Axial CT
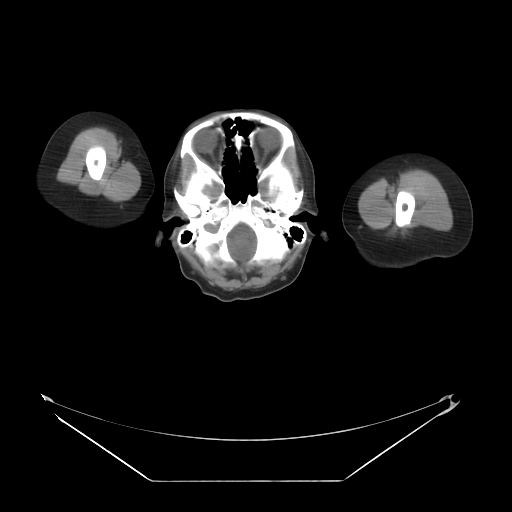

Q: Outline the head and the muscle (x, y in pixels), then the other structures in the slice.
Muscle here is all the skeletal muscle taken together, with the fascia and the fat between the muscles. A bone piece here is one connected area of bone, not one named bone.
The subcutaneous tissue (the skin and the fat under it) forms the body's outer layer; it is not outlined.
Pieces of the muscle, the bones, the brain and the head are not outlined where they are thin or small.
A: head: 233 107; 263 108; 293 126; 314 168; 318 214; 291 219; 306 221; 314 233; 323 228; 328 240; 313 238; 291 284; 224 302; 185 278; 170 242; 156 247; 154 238; 157 229; 169 235; 184 223; 161 217; 163 176; 182 130; 209 111; inner edge: 237 118; 251 122; 253 127; 246 136; 235 130; 228 137; 229 140; 239 162; 242 149; 247 146; 250 149; 256 173; 255 192; 248 193; 243 201; 239 199; 234 202; 226 192; 223 177; 228 136; 222 124; 231 120; 228 128; 235 130
muscle 1: 411 167; 418 167; 431 172; 445 187; 453 209; 453 233; 448 235; 444 232; 426 232; 410 238; 402 238; 392 242; 385 242; 369 235; 361 224; 361 218; 357 209; 357 201; 359 195; 370 183; 375 181; 379 177; 388 173; 404 170, around a hole outlined by 400 190; 405 190; 408 192; 410 192; 413 195; 413 196; 415 199; 415 207; 414 208; 414 210; 413 211; 413 214; 411 217; 411 220; 408 225; 406 225; 403 227; 398 227; 395 223; 395 202; 396 201; 396 197; 397 196; 397 193
muscle 2: 95 125; 102 125; 114 131; 117 135; 119 135; 129 141; 135 151; 142 176; 142 187; 124 206; 113 206; 107 203; 80 199; 73 196; 66 187; 57 182; 55 179; 57 170; 61 162; 66 156; 68 148; 75 135; 80 130; 86 127; inner edge: 96 145; 100 145; 102 146; 104 148; 105 153; 106 154; 106 163; 105 164; 105 167; 104 168; 102 176; 99 180; 94 180; 90 177; 86 167; 86 164; 85 163; 85 156; 86 155; 87 150; 90 147; 95 146
muscle 3: 304 244; 299 257; 284 278; 274 280; 257 289; 236 291; 226 291; 209 285; 198 274; 192 272; 178 249; 178 247; 188 248; 205 266; 216 267; 217 262; 220 262; 223 268; 234 268; 238 265; 259 267; 267 262; 280 263; 292 248
muscle 4: 294 137; 300 149; 306 167; 307 180; 308 181; 308 200; 310 204; 310 206; 308 208; 304 208; 298 212; 298 210; 302 203; 304 195; 304 188; 297 186; 291 170; 284 161; 284 158; 287 151; 289 149; 291 149; 293 151; 295 149
muscle 5: 180 145; 180 158; 184 159; 187 155; 189 156; 193 163; 193 169; 190 171; 184 182; 182 191; 181 192; 176 186; 174 186; 172 188; 172 193; 178 207; 185 215; 186 220; 177 213; 174 214; 172 212; 172 193; 170 187; 172 168
left arm: 404 151; 420 151; 431 154; 441 159; 455 170; 466 186; 471 199; 474 218; 473 232; 466 248; 461 253; 453 257; 436 257; 414 266; 401 269; 380 269; 365 263; 358 255; 352 240; 342 225; 342 205; 349 187; 367 168; 386 156
brain 1: 240 224; 243 224; 247 226; 253 232; 255 236; 255 249; 253 253; 249 257; 248 257; 245 260; 243 261; 242 260; 239 260; 237 259; 230 253; 229 251; 229 248; 228 247; 228 242; 227 241; 227 238; 230 232; 236 226
brain 2: 215 184; 216 184; 218 186; 219 186; 219 193; 216 196; 209 196; 208 195; 207 195; 204 192; 204 189; 206 187; 208 187; 209 188; 212 188; 214 186; 214 185
right arm: 94 109; 103 110; 115 114; 125 120; 133 128; 138 135; 148 156; 154 176; 155 187; 148 202; 145 212; 137 219; 116 228; 92 229; 73 221; 49 205; 40 196; 34 184; 34 176; 39 159; 48 139; 55 129; 68 117; 81 111
bones 1: 230 112; 263 114; 283 123; 292 132; 294 149; 289 148; 286 151; 283 161; 296 186; 303 188; 303 195; 297 214; 291 219; 303 224; 307 236; 303 244; 292 247; 280 262; 223 267; 217 261; 216 266; 205 265; 191 249; 181 248; 177 244; 178 230; 187 218; 175 199; 173 188; 176 187; 181 193; 194 169; 189 155; 184 158; 180 156; 183 136; 200 122, around holes outlined by 237 118; 251 122; 253 127; 246 136; 235 130; 229 140; 239 162; 242 149; 247 146; 250 149; 256 173; 255 192; 234 202; 226 192; 224 165; 215 168; 201 158; 193 141; 200 130; 218 122; 231 120; 228 128; 235 130 and by 240 224; 243 224; 247 226; 253 232; 255 236; 255 249; 253 253; 249 257; 248 257; 245 260; 243 261; 242 260; 239 260; 237 259; 230 253; 229 251; 229 248; 228 247; 228 242; 227 241; 227 238; 230 232; 236 226 and by 260 125; 266 126; 270 128; 273 128; 277 131; 279 134; 279 137; 280 138; 280 146; 278 151; 270 160; 270 161; 264 166; 256 161; 255 154; 254 153; 254 150; 255 149; 255 136; 256 134; 262 130; 262 127; 260 126 and by 215 184; 216 184; 218 186; 219 186; 219 193; 216 196; 209 196; 208 195; 207 195; 204 192; 204 189; 206 187; 208 187; 209 188; 212 188; 214 186; 214 185 and by 263 180; 266 180; 266 181; 267 182; 267 184; 268 185; 268 192; 269 193; 269 198; 267 200; 265 200; 263 198; 263 196; 262 195; 262 188; 261 187; 261 182 and by 206 225; 211 225; 212 226; 217 226; 217 227; 216 228; 216 229; 215 230; 214 230; 213 231; 212 231; 211 230; 210 230; 209 229; 207 229; 206 228
bones 2: 400 190; 405 190; 408 192; 410 192; 413 195; 413 196; 415 199; 415 207; 414 208; 414 210; 413 211; 413 214; 411 217; 411 220; 408 225; 406 225; 403 227; 398 227; 395 223; 395 202; 396 201; 396 197; 397 196; 397 193
bones 3: 96 145; 100 145; 102 146; 104 148; 105 153; 106 154; 106 163; 105 164; 105 167; 104 168; 102 176; 99 180; 94 180; 90 177; 86 167; 86 164; 85 163; 85 156; 86 155; 87 150; 90 147; 95 146
bones 4: 221 124; 227 136; 225 140; 225 143; 227 145; 224 151; 223 149; 223 146; 222 145; 223 144; 223 139; 221 135; 214 129; 215 127